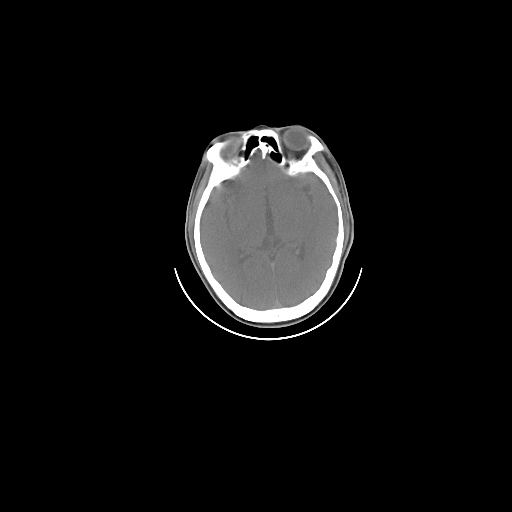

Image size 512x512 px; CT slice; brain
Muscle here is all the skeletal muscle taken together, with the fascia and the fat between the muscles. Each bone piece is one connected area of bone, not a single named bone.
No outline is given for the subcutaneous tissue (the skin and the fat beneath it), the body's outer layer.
{"bones":[{"outer":[[252,128],[277,130],[282,154],[288,159],[299,159],[305,153],[311,143],[309,135],[317,138],[326,148],[316,152],[313,158],[328,177],[342,212],[342,254],[327,293],[307,313],[285,321],[257,322],[234,313],[217,296],[196,258],[193,237],[195,215],[212,169],[212,164],[204,159],[204,154],[214,143],[228,141],[220,150],[224,159],[248,156],[258,144],[257,137],[251,136],[247,140],[246,149],[242,150],[241,132]],"holes":[[[258,152],[262,160],[269,160],[289,177],[299,173],[313,173],[331,196],[337,216],[337,230],[330,263],[318,287],[296,304],[264,309],[238,302],[224,288],[214,275],[205,256],[200,233],[201,217],[213,189],[220,188],[224,181],[237,177]],[[264,137],[266,137],[267,138],[272,138],[274,140],[274,141],[275,142],[275,144],[276,145],[276,147],[275,148],[274,147],[273,147],[273,146],[267,140],[263,140],[263,138]]]}],"brain":[[[258,152],[262,160],[269,160],[289,177],[299,173],[313,173],[331,196],[337,216],[337,230],[330,263],[318,287],[296,304],[264,309],[238,302],[224,288],[214,275],[205,256],[200,233],[201,217],[213,189],[220,188],[224,181],[237,177]]],"head":[{"outer":[[293,123],[300,123],[315,132],[327,144],[340,165],[353,216],[352,243],[337,286],[318,311],[292,325],[255,327],[241,323],[228,315],[214,301],[202,283],[186,248],[184,235],[186,206],[201,155],[216,135],[226,131],[249,130],[260,124],[282,127]],"holes":[[[251,137],[256,137],[256,140],[257,141],[257,144],[256,144],[254,146],[253,146],[251,148],[251,149],[249,151],[249,152],[248,153],[248,155],[247,155],[246,156],[246,150],[247,149],[247,144],[248,143],[248,140]],[[264,137],[266,137],[267,138],[272,138],[274,140],[274,141],[275,142],[275,144],[276,145],[276,147],[275,148],[274,147],[273,147],[273,146],[267,140],[263,140],[263,138]]]}],"muscle":[[[325,150],[327,161],[333,170],[335,171],[335,176],[341,188],[345,203],[345,208],[347,212],[348,238],[343,251],[345,237],[344,236],[344,220],[342,207],[329,177],[319,166],[314,158],[314,155],[316,153],[322,152]],[[204,160],[206,160],[211,164],[211,169],[208,176],[206,185],[200,195],[194,215],[192,237],[194,243],[195,256],[192,250],[190,242],[189,219],[190,218],[190,212],[192,209],[192,203],[195,196],[195,193],[200,179],[202,177],[202,174],[204,172]]]}